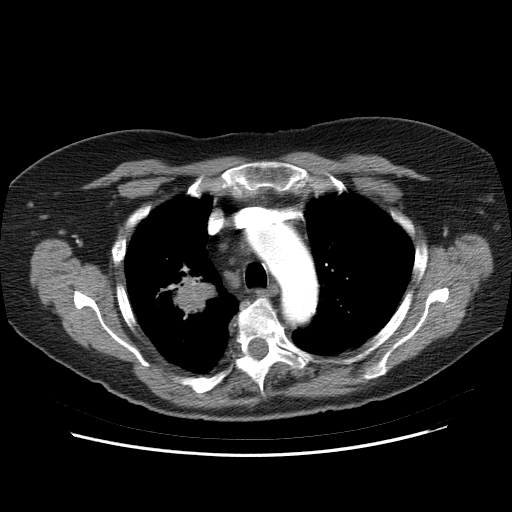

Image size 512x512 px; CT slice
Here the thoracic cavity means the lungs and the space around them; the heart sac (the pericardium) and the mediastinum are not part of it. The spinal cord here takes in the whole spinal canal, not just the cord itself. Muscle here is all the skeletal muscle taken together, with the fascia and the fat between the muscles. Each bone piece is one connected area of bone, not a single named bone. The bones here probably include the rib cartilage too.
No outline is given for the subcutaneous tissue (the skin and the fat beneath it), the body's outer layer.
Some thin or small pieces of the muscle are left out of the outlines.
Outlines (x, y in pixels):
bones 1: 411,288 411,303 398,327 359,360 309,362 303,368 277,361 264,377 263,394 236,367 201,393 173,378 211,376 227,367 233,361 237,315 259,297 270,301 286,336 297,347 322,358 347,357 359,352 387,323; inner edge: 256,338 260,338 261,339 264,340 265,341 265,342 267,345 267,352 265,354 265,355 260,359 257,359 256,358 253,357 250,354 250,353 248,350 248,346 249,345 249,343 253,339 255,339
bones 2: 261,160 289,163 322,178 328,173 342,181 347,191 315,197 311,186 305,186 299,193 261,187 257,193 240,198 233,196 228,189 213,195 204,193 199,198 186,195 187,188 201,175 215,178 229,168
bones 3: 443,287 447,287 449,292 446,301 434,301 429,305 426,317 420,327 411,337 390,353 386,362 387,371 385,374 371,379 364,378 362,375 366,369 375,364 399,339 406,335 416,325 423,314 425,301 429,293
bones 4: 76,290 80,291 92,298 95,301 104,323 117,336 134,346 140,352 144,359 150,364 149,366 143,365 131,351 116,341 103,328 95,311 90,306 83,306 81,308 77,308 75,306 73,300 73,294 74,291
bones 5: 118,282 120,282 123,284 126,290 126,293 130,303 131,309 134,314 134,316 137,322 137,325 135,327 135,330 134,332 131,330 124,320 124,318 120,311 120,309 118,305 118,302 116,297 116,284
bones 6: 423,242 424,242 427,245 427,262 426,263 426,266 425,267 425,269 423,272 423,274 422,275 420,280 417,283 415,280 412,279 412,268 413,267 413,264 414,263 414,259 415,258 415,246 417,244 420,244
bones 7: 390,208 394,208 400,211 402,213 406,215 411,220 413,224 413,227 414,228 414,232 415,233 414,234 414,237 413,238 411,238 406,233 406,232 397,223 396,223 392,219 392,218 389,214 389,210
bones 8: 147,202 150,202 152,206 152,208 149,212 149,213 147,215 147,216 143,219 142,219 132,230 131,229 127,229 126,228 126,223 127,222 127,220 129,216 132,213 132,212 134,211 134,210 135,210 141,205
bones 9: 121,236 124,236 126,239 126,249 125,250 125,254 124,255 123,260 122,261 121,261 116,266 114,264 114,262 113,261 113,257 112,256 112,253 111,252 111,248 112,247 112,246 113,245 115,240
torso: 370,115 419,120 474,141 490,153 505,198 511,273 501,327 424,382 359,407 290,418 237,422 180,418 148,410 107,391 47,356 10,325 0,272 6,198 12,179 42,156 72,142 121,129 155,128 205,137
thoracic cavity 1: 182,194 197,199 204,194 212,196 205,247 221,277 223,288 236,298 239,306 233,324 236,328 233,343 219,364 206,374 184,369 168,361 158,351 138,324 126,289 123,261 133,230 152,209
thoracic cavity 2: 349,191 370,200 388,214 411,239 414,247 411,277 395,311 369,339 359,347 338,355 317,355 297,346 286,334 289,336 294,330 306,327 312,321 319,301 320,284 308,235 306,208 314,198 328,193 341,195
spinal cord: 256,338 260,338 261,339 264,340 265,341 265,342 267,345 267,352 265,354 265,355 260,359 257,359 256,358 253,357 250,354 250,353 248,350 248,346 249,345 249,343 253,339 255,339
mediastinum: 305,187 313,189 314,197 306,205 305,220 319,284 318,301 311,321 289,335 267,297 259,296 240,308 237,298 226,291 206,247 208,221 213,196 223,190 240,199 257,194 261,188 299,194
muscle 1: 294,151 329,158 346,153 377,154 430,177 407,178 401,185 405,211 421,226 427,242 447,247 457,236 469,232 481,235 490,246 493,270 469,303 463,321 449,336 433,341 388,371 391,353 421,327 430,305 447,301 447,286 431,290 415,325 361,375 367,380 380,377 375,384 337,396 274,396 252,407 181,407 153,393 132,373 129,362 77,343 60,319 43,308 30,284 30,258 40,241 58,238 72,247 82,263 93,263 105,271 110,251 116,267 123,262 125,287 120,281 115,284 123,320 134,333 138,325 168,362 199,375 172,376 198,394 210,391 233,368 249,376 263,395 265,377 277,362 303,369 309,363 347,365 363,359 386,341 406,317 414,294 413,287 406,289 411,278 417,284 421,280 428,262 428,245 423,241 414,246 414,224 400,210 390,207 385,212 367,197 348,191 342,180 328,172 322,177 301,166 272,160 with a hole at 76,290 80,291 92,298 95,301 104,323 117,336 134,346 140,352 144,359 150,364 149,366 143,365 131,351 116,341 103,328 95,311 90,306 83,306 81,308 77,308 75,306 73,300 73,294 74,291
muscle 2: 222,156 260,160 229,167 215,177 201,174 184,193 153,208 150,201 141,204 126,220 125,228 132,231 127,243 124,235 115,237 132,204 124,197 114,196 110,187 79,189 125,161 157,158 170,165 183,165
muscle 3: 232,344 233,344 233,352 231,355 232,357 232,361 227,366 216,371 213,374 211,375 205,375 207,374 209,374 216,367 217,367 220,364 220,363 224,358 226,353 228,351 230,346 231,346